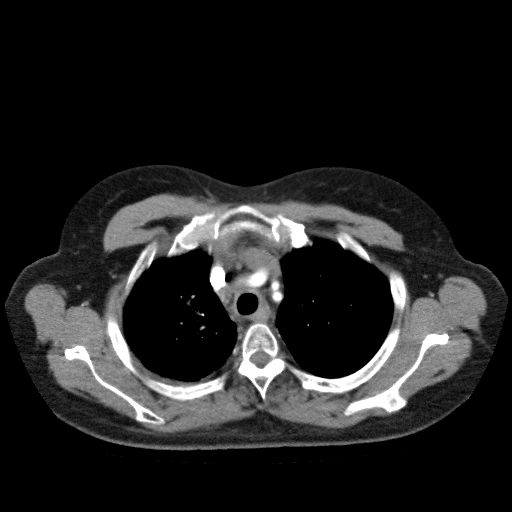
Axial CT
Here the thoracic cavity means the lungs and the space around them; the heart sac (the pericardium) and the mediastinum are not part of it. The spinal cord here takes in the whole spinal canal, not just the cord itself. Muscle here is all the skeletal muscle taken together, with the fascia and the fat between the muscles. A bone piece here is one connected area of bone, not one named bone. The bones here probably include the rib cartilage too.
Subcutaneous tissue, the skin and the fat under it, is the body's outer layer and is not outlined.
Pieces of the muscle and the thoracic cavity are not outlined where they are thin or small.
{"muscle":[{"outer":[[165,192],[209,194],[227,201],[333,203],[386,222],[402,235],[406,250],[390,254],[399,270],[392,268],[387,277],[364,246],[344,230],[333,233],[334,241],[312,237],[303,223],[281,212],[268,215],[248,202],[220,213],[212,209],[193,215],[163,256],[156,257],[160,244],[156,239],[140,250],[121,294],[121,329],[116,317],[106,314],[105,332],[115,354],[154,392],[189,401],[222,391],[236,375],[246,377],[264,401],[270,383],[286,370],[305,390],[333,394],[353,390],[384,365],[398,342],[401,328],[390,327],[394,311],[401,314],[405,308],[406,282],[412,302],[439,288],[450,276],[471,279],[487,303],[470,356],[454,374],[420,389],[408,403],[400,393],[402,384],[430,347],[449,341],[445,331],[427,333],[415,360],[395,381],[373,395],[350,401],[343,410],[345,416],[373,408],[391,413],[372,415],[341,428],[293,422],[258,411],[208,428],[158,433],[64,389],[38,348],[35,325],[24,306],[26,293],[35,284],[50,283],[101,314],[106,293],[126,262],[122,249],[103,249],[109,220],[123,206]],"hole":[[76,344],[83,345],[85,347],[94,369],[103,380],[162,417],[165,421],[164,423],[154,424],[149,422],[137,421],[134,418],[135,411],[133,407],[121,396],[102,385],[95,378],[85,361],[77,358],[71,360],[67,359],[64,355],[65,348],[72,347]]},[[230,359],[231,360],[231,363],[230,364],[230,368],[229,370],[223,371],[219,374],[217,373],[216,374],[217,375],[216,375],[212,378],[210,378],[206,380],[202,380],[203,380],[205,378],[209,377],[216,372],[217,373],[218,371],[230,360]],[[134,360],[134,361],[148,375],[149,375],[150,376],[151,376],[152,377],[153,377],[154,378],[155,378],[153,378],[152,377],[151,377],[150,376],[148,376],[147,375],[144,375],[143,374],[142,374],[140,372],[140,371],[136,367],[136,366],[134,364]]],"spinal_cord":[[[259,351],[262,351],[263,352],[266,353],[269,356],[269,357],[270,358],[270,359],[263,366],[262,366],[261,367],[260,367],[259,366],[257,366],[253,362],[252,362],[250,359],[251,356],[254,353],[255,353],[256,352],[258,352]]],"thoracic_cavity":[[[310,237],[333,241],[344,250],[373,264],[387,278],[393,304],[389,330],[376,352],[360,368],[339,377],[330,378],[315,375],[290,361],[292,358],[284,351],[281,334],[276,326],[278,310],[285,295],[281,259],[292,249],[312,246],[313,241]],[[200,247],[211,257],[208,281],[229,319],[235,324],[237,335],[229,360],[217,372],[216,371],[205,377],[201,380],[203,381],[183,384],[166,383],[148,374],[132,357],[131,350],[122,331],[123,307],[136,282],[156,258],[164,256],[167,258],[180,256]]],"bones":[{"outer":[[108,313],[139,372],[171,385],[229,371],[235,345],[254,323],[270,328],[290,363],[330,379],[360,369],[390,329],[400,332],[383,365],[342,393],[305,389],[286,369],[264,400],[246,376],[233,374],[222,390],[182,401],[154,391],[123,364],[106,332]],"hole":[[259,351],[262,351],[263,352],[266,353],[269,356],[269,357],[270,358],[270,359],[263,366],[262,366],[261,367],[260,367],[259,366],[257,366],[253,362],[252,362],[250,359],[251,356],[254,353],[255,353],[256,352],[258,352]]},[[241,203],[251,204],[268,216],[281,213],[295,222],[303,224],[305,232],[312,241],[312,245],[292,248],[287,243],[282,242],[276,244],[254,232],[242,230],[223,241],[213,241],[180,255],[165,256],[175,235],[193,216],[201,215],[212,210],[220,214]],[[445,332],[449,336],[447,343],[430,346],[425,351],[416,369],[401,384],[399,393],[407,400],[404,407],[393,412],[388,412],[380,407],[373,407],[350,415],[344,414],[344,410],[350,402],[373,396],[395,382],[414,363],[421,343],[427,334],[441,334]],[[76,344],[83,345],[85,347],[94,369],[103,380],[162,417],[165,421],[164,423],[154,424],[149,422],[137,421],[134,418],[135,411],[133,407],[121,396],[102,385],[95,378],[85,361],[77,358],[71,360],[67,359],[64,355],[65,348],[72,347]],[[154,240],[158,241],[159,243],[156,252],[156,256],[154,260],[151,263],[150,266],[141,274],[139,278],[135,282],[128,296],[126,298],[125,301],[123,302],[122,300],[122,294],[124,290],[124,287],[126,283],[126,280],[128,274],[141,250],[147,244]],[[392,269],[399,271],[402,274],[405,281],[405,285],[406,286],[406,299],[405,300],[404,308],[401,313],[397,310],[396,311],[394,310],[394,304],[392,299],[392,295],[391,294],[391,290],[390,289],[390,285],[389,284],[389,280],[388,279],[389,273]],[[340,231],[344,231],[348,233],[354,239],[355,239],[358,242],[359,242],[368,252],[372,260],[372,263],[369,263],[367,262],[365,260],[362,259],[360,257],[356,255],[350,250],[344,249],[337,242],[336,242],[334,239],[334,233],[336,233]]],"mediastinum":[[[242,231],[254,233],[276,245],[287,244],[291,248],[280,259],[284,295],[277,310],[275,326],[280,334],[282,347],[274,332],[264,322],[250,324],[239,342],[235,344],[238,335],[237,326],[230,319],[209,281],[212,257],[202,247],[213,242],[223,242]]],"torso":[[[159,163],[241,185],[314,166],[351,166],[384,174],[415,191],[439,214],[458,251],[489,268],[507,293],[495,345],[469,397],[413,434],[346,445],[150,449],[105,441],[62,421],[20,355],[5,299],[25,266],[56,251],[69,210],[91,186],[119,170]]]}